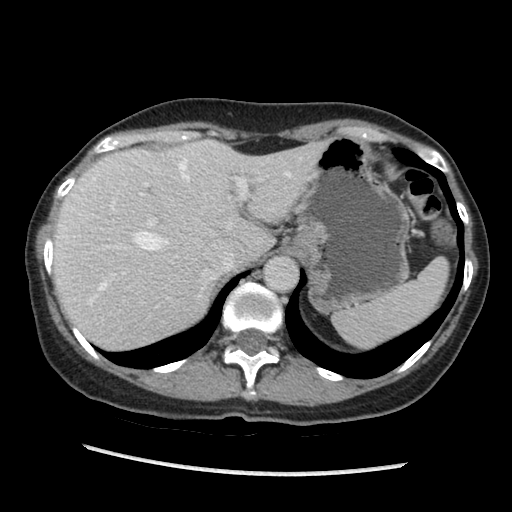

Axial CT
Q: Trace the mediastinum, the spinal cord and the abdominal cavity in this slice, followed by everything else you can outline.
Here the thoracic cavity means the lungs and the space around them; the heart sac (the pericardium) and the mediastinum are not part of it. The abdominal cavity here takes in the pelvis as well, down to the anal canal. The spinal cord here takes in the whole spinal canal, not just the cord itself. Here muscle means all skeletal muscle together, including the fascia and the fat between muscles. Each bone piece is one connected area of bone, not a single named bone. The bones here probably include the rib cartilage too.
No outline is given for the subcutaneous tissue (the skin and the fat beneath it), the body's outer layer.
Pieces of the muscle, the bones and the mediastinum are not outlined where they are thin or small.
A: Outlined structures:
mediastinum 1: [[278,251],[284,251],[293,254],[297,258],[301,265],[301,269],[299,272],[299,281],[289,297],[284,311],[283,306],[278,296],[273,291],[259,282],[247,280],[238,284],[239,281],[242,278],[244,278],[251,270],[253,270],[254,268],[261,264],[270,254]]
mediastinum 2: [[375,142],[377,143],[384,143],[385,142],[386,143],[389,143],[390,144],[393,144],[394,145],[400,146],[396,146],[394,147],[392,149],[392,151],[394,155],[401,161],[400,162],[397,161],[392,156],[391,156],[391,155],[387,151],[378,149],[375,144]]
spinal cord: [[250,328],[254,328],[255,329],[260,330],[265,333],[266,334],[266,337],[268,341],[267,342],[267,345],[264,349],[260,350],[253,355],[249,355],[243,350],[239,348],[235,343],[235,339],[236,338],[237,333],[242,330],[245,330],[246,329],[249,329]]
abdominal cavity: [[336,131],[374,142],[399,163],[419,164],[439,182],[457,226],[459,259],[443,303],[421,324],[361,354],[329,348],[300,317],[306,274],[284,250],[232,277],[197,325],[155,343],[106,351],[72,323],[54,287],[52,238],[62,200],[98,154],[148,141]]
muscle 1: [[444,157],[454,173],[471,213],[473,246],[478,260],[477,274],[468,301],[447,340],[425,363],[392,383],[348,399],[316,406],[287,405],[262,399],[248,401],[240,397],[217,401],[173,398],[141,388],[90,363],[74,350],[51,319],[35,255],[35,240],[37,231],[49,212],[52,194],[60,183],[55,196],[63,199],[57,211],[52,237],[46,237],[43,243],[43,264],[46,273],[52,276],[57,299],[72,324],[74,337],[95,360],[100,358],[99,353],[118,365],[150,369],[156,373],[173,372],[188,361],[188,356],[208,342],[220,323],[228,332],[222,361],[226,365],[236,364],[240,367],[244,378],[241,395],[248,398],[257,393],[254,386],[260,368],[266,364],[276,364],[280,360],[280,352],[272,341],[273,336],[284,324],[293,346],[316,365],[314,369],[322,378],[337,382],[345,377],[374,378],[393,369],[396,373],[401,373],[428,350],[433,341],[432,336],[450,311],[459,292],[463,293],[468,289],[474,273],[472,260],[465,256],[464,225],[469,223],[469,215],[465,205],[454,198],[445,175],[450,170]]
muscle 2: [[338,118],[355,118],[372,122],[424,143],[433,148],[418,145],[413,149],[413,151],[403,146],[386,142],[393,142],[395,139],[392,136],[368,125],[344,125],[338,127],[335,131],[307,137],[259,135],[253,137],[233,137],[222,139],[214,136],[218,133],[213,129],[206,130],[206,136],[202,136],[203,134],[198,130],[191,129],[162,129],[105,136],[115,131],[197,120],[213,122],[229,128],[265,133],[277,132],[300,125]]
muscle 3: [[100,139],[101,139],[93,147],[92,149],[92,151],[95,154],[97,154],[89,162],[89,163],[87,164],[83,171],[82,171],[81,173],[80,173],[76,178],[74,176],[69,176],[61,182],[64,176],[65,176],[81,160],[81,159],[86,153],[86,152]]
thoracic cavity 1: [[396,147],[413,152],[446,178],[463,224],[462,282],[431,337],[399,365],[374,377],[349,377],[305,357],[289,336],[285,309],[302,269],[301,321],[319,342],[346,355],[373,351],[421,325],[442,306],[458,271],[458,226],[440,182],[427,167],[399,159]]
thoracic cavity 2: [[243,272],[248,273],[242,277],[227,294],[222,305],[219,323],[207,342],[186,357],[156,365],[151,368],[136,368],[118,364],[108,359],[95,349],[95,347],[106,352],[127,352],[155,344],[190,330],[197,326],[208,315],[216,298],[224,286],[232,278]]
torso: [[185,97],[366,104],[422,129],[450,153],[485,225],[490,277],[482,308],[458,355],[425,395],[388,414],[339,423],[250,422],[238,416],[186,421],[91,399],[68,385],[48,364],[36,334],[24,264],[27,227],[39,197],[55,173],[98,132],[143,108]]
bones 1: [[247,281],[259,283],[277,296],[284,312],[284,323],[272,336],[271,341],[279,352],[278,362],[266,363],[259,368],[253,386],[256,393],[245,397],[242,395],[245,388],[243,370],[236,363],[226,364],[223,361],[229,332],[220,321],[228,294],[236,286]], around a hole outlined by [[250,328],[254,328],[255,329],[260,330],[265,333],[266,334],[266,337],[268,341],[267,342],[267,345],[264,349],[260,350],[253,355],[249,355],[243,350],[239,348],[235,343],[235,339],[236,338],[237,333],[242,330],[245,330],[246,329],[249,329]]
bones 2: [[162,130],[198,131],[202,134],[199,137],[192,137],[189,139],[181,139],[171,141],[164,141],[163,140],[140,141],[129,145],[117,147],[114,149],[111,149],[100,153],[95,153],[93,151],[94,147],[102,139],[107,136],[116,136],[133,133],[147,133]]
bones 3: [[344,126],[368,126],[372,128],[375,128],[379,131],[389,135],[392,137],[394,140],[393,141],[389,141],[388,140],[384,142],[370,141],[357,135],[352,135],[348,133],[343,133],[342,132],[339,132],[337,131],[337,129],[338,128],[340,127],[343,127]]
bones 4: [[418,146],[420,147],[425,147],[426,148],[429,148],[430,149],[435,149],[437,151],[438,151],[441,154],[441,155],[443,157],[446,163],[446,165],[449,170],[448,172],[446,173],[444,173],[436,167],[427,163],[418,155],[417,155],[414,152],[414,149]]
bones 5: [[429,339],[431,339],[432,340],[431,342],[431,344],[429,346],[427,350],[421,356],[421,357],[419,359],[418,359],[412,365],[411,365],[405,370],[401,372],[396,372],[395,371],[395,368],[399,366],[416,350],[417,350],[425,342],[426,342]]
bones 6: [[73,325],[77,328],[80,333],[87,340],[87,341],[89,342],[89,343],[91,344],[92,346],[93,346],[94,349],[98,353],[98,355],[99,356],[99,358],[98,359],[95,359],[91,355],[90,355],[80,344],[78,340],[75,337],[72,331],[72,326]]
bones 7: [[46,238],[50,238],[52,241],[52,261],[51,262],[51,274],[50,275],[49,275],[47,273],[47,272],[46,271],[46,269],[45,268],[45,265],[44,264],[44,258],[43,257],[43,247],[44,246],[44,243],[45,242],[45,240],[46,239]]
bones 8: [[465,257],[467,257],[471,260],[472,262],[472,265],[473,266],[473,273],[472,274],[472,277],[471,278],[471,281],[469,284],[469,286],[465,291],[462,292],[460,290],[461,289],[462,283],[463,282],[463,272],[464,271],[464,264],[465,263]]
bones 9: [[184,358],[187,358],[187,361],[183,364],[182,364],[176,370],[170,371],[169,372],[156,372],[155,371],[151,370],[151,369],[153,367],[155,367],[156,366],[160,366],[161,365],[164,365],[168,363],[171,363],[172,362],[174,362],[178,360],[181,360]]
bones 10: [[317,365],[325,369],[327,369],[333,372],[338,373],[344,376],[344,378],[342,380],[333,381],[332,380],[327,379],[324,377],[322,377],[319,375],[319,374],[316,371],[315,369],[315,366]]
bones 11: [[69,177],[74,177],[76,179],[73,185],[70,188],[69,191],[68,191],[67,193],[63,197],[61,197],[60,198],[59,197],[57,197],[56,196],[56,194],[57,193],[57,190],[59,186],[62,182],[63,182],[67,178]]